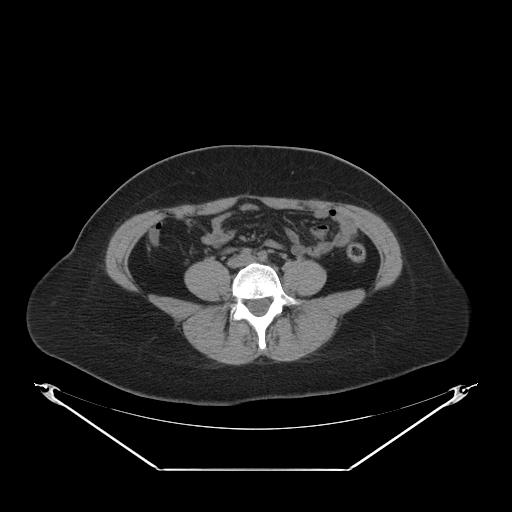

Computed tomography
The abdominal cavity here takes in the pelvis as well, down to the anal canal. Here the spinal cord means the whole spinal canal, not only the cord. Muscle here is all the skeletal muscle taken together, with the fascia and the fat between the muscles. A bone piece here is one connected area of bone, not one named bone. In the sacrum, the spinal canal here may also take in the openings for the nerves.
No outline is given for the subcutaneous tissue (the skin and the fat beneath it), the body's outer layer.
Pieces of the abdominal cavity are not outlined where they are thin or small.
The torso is outlined by 220 144; 319 149; 361 167; 384 183; 418 216; 469 294; 472 325; 463 347; 447 360; 372 385; 333 394; 265 399; 232 406; 140 397; 104 383; 36 347; 25 323; 29 294; 48 269; 70 250; 81 228; 100 204; 148 165; 179 152. The bones are outlined by 252 262; 257 262; 271 266; 276 271; 283 290; 289 296; 301 301; 298 304; 290 304; 284 306; 282 311; 268 325; 265 330; 265 349; 259 348; 257 333; 245 319; 230 319; 231 305; 235 301; 232 295; 232 281; 241 268, around a hole outlined by 263 298; 269 298; 270 299; 270 303; 268 306; 268 308; 267 309; 267 310; 264 314; 263 314; 262 315; 260 315; 259 316; 253 314; 247 307; 247 306; 246 305; 246 301; 247 301; 248 300; 254 300; 255 299; 262 299. The abdominal cavity is outlined by 244 198; 275 209; 337 211; 377 250; 372 285; 313 296; 328 275; 312 259; 286 261; 280 276; 271 265; 257 261; 234 276; 218 260; 202 259; 185 270; 183 282; 206 303; 146 291; 131 273; 129 258; 152 225; 163 218; 215 214. The muscle is outlined by 242 193; 316 198; 370 210; 387 223; 399 243; 403 261; 400 275; 390 286; 375 292; 347 312; 332 337; 306 357; 275 362; 260 356; 241 365; 208 358; 187 341; 168 314; 139 294; 123 288; 107 274; 105 254; 113 233; 135 214, around a hole outlined by 244 198; 275 209; 337 211; 377 250; 372 285; 313 296; 326 269; 312 259; 286 261; 281 286; 301 301; 268 325; 265 349; 245 319; 230 319; 234 276; 216 259; 183 273; 187 289; 206 303; 146 291; 129 258; 152 225; 215 214. The spinal cord is outlined by 263 298; 269 298; 270 299; 270 303; 268 306; 268 308; 267 309; 267 310; 264 314; 263 314; 262 315; 260 315; 259 316; 253 314; 247 307; 247 306; 246 305; 246 301; 247 301; 248 300; 254 300; 255 299; 262 299.